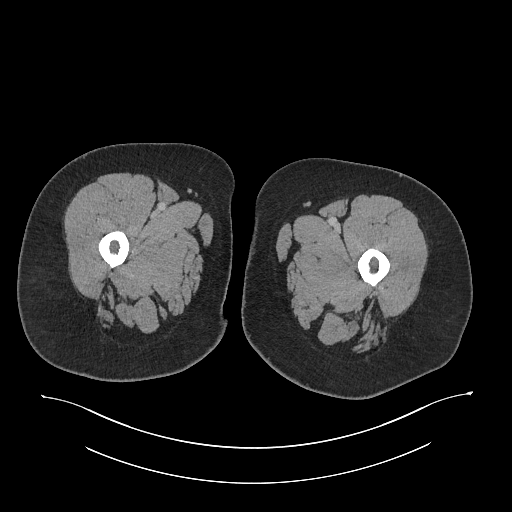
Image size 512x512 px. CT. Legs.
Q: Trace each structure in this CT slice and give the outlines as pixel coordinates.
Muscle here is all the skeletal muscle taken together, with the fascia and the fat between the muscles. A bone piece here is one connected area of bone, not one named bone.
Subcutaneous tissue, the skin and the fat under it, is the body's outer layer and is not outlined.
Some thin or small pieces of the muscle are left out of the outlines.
A: {"bones":[[[370,247],[374,247],[378,249],[383,253],[384,253],[388,258],[389,262],[390,263],[390,267],[389,268],[389,270],[387,274],[380,281],[379,281],[375,286],[372,286],[367,282],[364,281],[361,277],[357,268],[357,261],[359,257],[365,250],[366,250]],[[114,230],[120,230],[124,232],[129,242],[129,251],[128,252],[128,254],[125,260],[121,264],[119,265],[117,265],[111,268],[110,266],[103,259],[103,258],[101,256],[98,250],[98,243],[100,239],[105,234],[111,231],[113,231]]],"left_leg":[[[310,157],[328,157],[381,166],[420,181],[433,190],[452,211],[463,233],[469,255],[473,286],[472,306],[460,343],[452,358],[438,369],[365,399],[334,397],[290,381],[273,369],[253,348],[241,323],[243,279],[257,194],[266,179],[277,169]]],"muscle":[{"outer":[[123,171],[157,175],[178,192],[199,201],[211,213],[214,220],[214,233],[204,255],[201,280],[182,318],[161,338],[142,345],[126,345],[103,335],[96,320],[92,302],[84,299],[74,289],[69,278],[67,249],[63,238],[62,217],[74,194],[99,175]],"hole":[[114,230],[120,230],[124,232],[129,242],[129,251],[128,252],[128,254],[125,260],[121,264],[119,265],[117,265],[111,268],[110,266],[103,259],[103,258],[101,256],[98,250],[98,243],[100,239],[105,234],[111,231],[113,231]]},{"outer":[[359,193],[383,194],[401,200],[418,217],[429,253],[419,293],[409,308],[391,324],[381,349],[366,359],[347,360],[333,357],[320,349],[300,328],[292,314],[290,296],[286,288],[286,272],[277,260],[275,242],[278,230],[287,218],[307,211],[333,197]],"hole":[[370,247],[374,247],[378,249],[383,253],[384,253],[388,258],[389,262],[390,263],[390,267],[389,268],[389,270],[387,274],[380,281],[379,281],[375,286],[372,286],[367,282],[364,281],[361,277],[357,268],[357,261],[359,257],[365,250],[366,250]]}],"right_leg":[[[130,142],[195,144],[215,152],[229,165],[233,173],[234,190],[231,198],[232,269],[223,305],[227,325],[215,347],[182,371],[138,381],[102,381],[60,369],[44,360],[30,345],[21,324],[17,305],[17,266],[30,211],[48,180],[66,163],[87,151]]]}